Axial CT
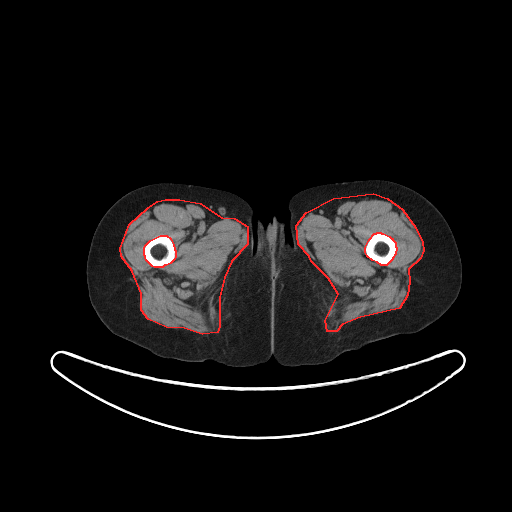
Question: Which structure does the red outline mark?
Answer: red: muscle.
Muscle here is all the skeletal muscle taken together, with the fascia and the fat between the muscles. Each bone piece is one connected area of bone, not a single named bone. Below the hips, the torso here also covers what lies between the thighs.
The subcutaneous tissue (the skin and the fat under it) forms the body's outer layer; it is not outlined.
The muscle appears in 2 outlined pieces: piece 1: 165,199 179,199 200,203 221,217 234,218 247,226 247,244 231,261 224,277 219,297 219,326 217,332 202,334 184,328 166,327 148,319 141,310 141,293 132,271 121,256 120,248 129,224 148,207 157,201 with a hole at 160,235 166,235 170,238 173,244 174,249 175,250 175,257 174,259 170,263 166,265 164,265 162,267 154,267 152,266 146,260 145,258 145,256 144,255 144,247 145,245 150,240; piece 2: 373,193 387,198 402,209 415,227 422,242 423,250 420,258 408,269 409,281 407,295 399,308 360,317 342,324 336,331 327,331 325,320 338,294 328,278 311,261 309,256 298,244 296,225 306,212 333,198 with a hole at 377,232 380,232 381,233 383,233 389,236 391,238 392,238 392,239 395,242 395,246 396,247 395,254 392,258 392,259 386,265 381,265 377,262 372,260 367,256 365,252 365,247 369,239 374,233 376,233. The torso is outlined by 274,215 280,221 282,221 284,223 285,226 285,241 282,248 282,254 280,258 279,265 275,272 275,275 272,279 258,252 257,241 255,236 255,229 256,228 256,221 257,219 259,219 264,225 266,225 272,219. The left leg is outlined by 368,179 403,184 423,195 441,212 452,230 460,253 462,282 458,296 441,317 417,332 375,341 360,349 346,351 321,364 282,365 273,357 273,279 281,262 286,235 286,238 290,239 288,202 296,193 313,186. The right leg is outlined by 160,182 192,184 225,190 241,197 251,207 257,252 272,280 272,356 267,361 252,366 234,367 213,360 188,362 161,357 115,335 102,323 96,314 88,295 86,261 97,224 110,206 124,194 138,187. The bones appear in 2 outlined pieces: piece 1: 160,235 166,235 170,238 173,244 174,249 175,250 175,257 174,259 170,263 166,265 164,265 162,267 154,267 152,266 146,260 145,258 145,256 144,255 144,247 145,245 150,240; piece 2: 377,232 380,232 381,233 383,233 389,236 391,238 392,238 392,239 395,242 395,246 396,247 395,254 392,258 392,259 386,265 381,265 377,262 372,260 367,256 365,252 365,247 369,239 374,233 376,233.